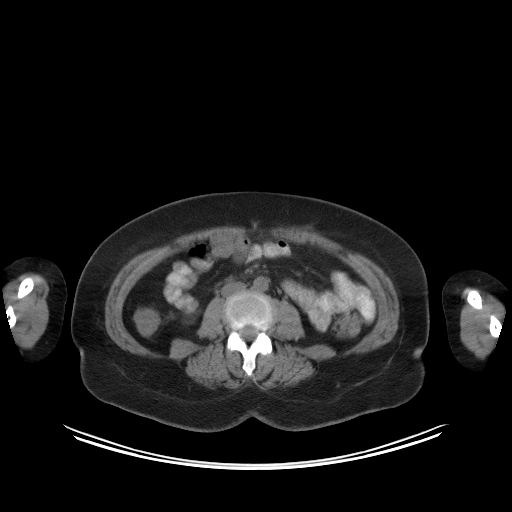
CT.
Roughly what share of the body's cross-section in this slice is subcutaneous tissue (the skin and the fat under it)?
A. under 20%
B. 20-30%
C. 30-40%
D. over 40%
Answer: D. over 40%
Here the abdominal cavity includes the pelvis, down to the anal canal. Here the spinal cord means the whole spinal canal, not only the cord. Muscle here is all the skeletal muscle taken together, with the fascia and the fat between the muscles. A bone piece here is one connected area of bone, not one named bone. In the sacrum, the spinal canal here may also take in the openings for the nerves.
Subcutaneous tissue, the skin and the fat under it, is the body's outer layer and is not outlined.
Outlines:
spinal cord: 248,325 250,325 251,326 252,326 254,328 255,328 258,331 258,332 257,333 256,336 254,338 254,339 251,341 246,341 244,339 243,339 241,337 241,335 239,332 239,331 242,328 243,328 245,326 247,326
muscle 1: 225,225 244,226 246,229 256,228 258,230 279,226 300,226 304,229 318,232 345,248 364,255 385,272 392,281 397,293 399,318 395,335 389,342 369,352 352,354 324,362 311,378 300,382 288,390 276,391 263,391 253,384 238,389 211,390 196,383 169,359 151,359 122,349 108,335 105,327 104,313 107,294 119,270 135,255 169,243 183,234; inner edge: 244,232 315,245 351,267 377,302 371,330 346,348 300,345 299,311 273,297 272,351 256,355 248,376 242,354 226,349 231,328 216,295 195,331 201,341 175,337 166,354 141,344 122,317 136,282 196,241
muscle 2: 26,272 37,273 46,280 49,287 49,291 46,297 49,318 44,332 36,343 28,350 21,351 16,347 11,332 11,329 16,324 17,317 14,308 11,304 9,304 6,308 4,307 2,287 12,279 15,279 with a hole at 29,276 30,277 32,277 33,278 33,288 32,289 32,290 28,294 27,294 25,296 24,296 22,298 17,298 17,291 18,290 18,287 19,286 19,284 21,282 21,281 24,278 25,278 26,277 28,277
muscle 3: 467,286 478,288 491,294 506,306 503,323 494,314 492,313 489,315 488,330 490,335 493,338 497,339 497,343 492,354 487,361 477,358 472,352 465,347 460,339 460,324 459,323 460,320 460,295 462,290 with a hole at 470,289 475,289 476,290 477,290 478,291 478,292 480,294 480,295 481,296 481,298 482,299 482,307 481,308 481,309 477,309 476,308 475,308 474,307 473,307 467,301 467,294 468,293 468,290 469,290
left arm: 467,267 479,268 487,271 499,279 508,288 506,311 497,338 497,343 492,354 487,360 487,363 483,371 479,374 473,373 465,369 455,359 448,343 445,318 441,302 441,290 445,281 454,272
right arm: 28,255 40,255 51,259 62,271 67,287 67,300 59,339 54,349 47,357 41,361 31,364 26,364 24,362 13,341 8,317 6,315 6,309 4,307 4,297 2,295 3,281 1,271 4,266 13,260
bones 1: 245,289 264,294 271,300 274,308 273,319 266,331 271,339 272,351 269,354 264,355 258,353 256,355 255,367 250,376 242,368 242,354 237,350 230,351 226,349 226,340 231,328 225,317 224,304 230,295; inner edge: 248,325 250,325 251,326 252,326 254,328 255,328 258,331 258,332 257,333 256,336 254,338 254,339 251,341 246,341 244,339 243,339 241,337 241,335 239,332 239,331 242,328 243,328 245,326 247,326
bones 2: 29,276 30,277 32,277 33,278 33,288 32,289 32,290 28,294 27,294 25,296 24,296 22,298 17,298 17,291 18,290 18,287 19,286 19,284 21,282 21,281 24,278 25,278 26,277 28,277
bones 3: 470,289 475,289 476,290 477,290 478,291 478,292 480,294 480,295 481,296 481,298 482,299 482,307 481,308 481,309 477,309 476,308 475,308 474,307 473,307 467,301 467,294 468,293 468,290 469,290
bones 4: 492,314 493,315 494,315 500,321 500,322 501,323 501,329 500,330 500,332 499,333 499,335 497,338 496,337 493,337 491,335 491,334 490,333 490,331 489,330 489,322 490,321 490,315 491,315
bones 5: 9,305 11,305 12,306 12,307 13,308 13,311 14,312 14,314 16,317 16,320 15,321 15,324 12,327 12,328 10,328 10,326 9,325 9,323 8,322 8,317 6,315 6,309 8,307 8,306
torso: 231,190 270,190 331,200 383,222 409,243 425,270 430,307 429,336 422,354 425,379 413,398 396,407 309,430 282,430 251,417 222,431 198,432 102,402 85,388 70,317 77,281 92,252 122,224 159,205
abdominal cavity: 244,232 315,245 351,267 377,302 371,330 346,348 300,345 305,330 297,308 285,299 271,299 245,288 225,300 216,295 209,301 195,331 201,341 175,337 166,354 141,344 122,317 124,302 136,282 196,241